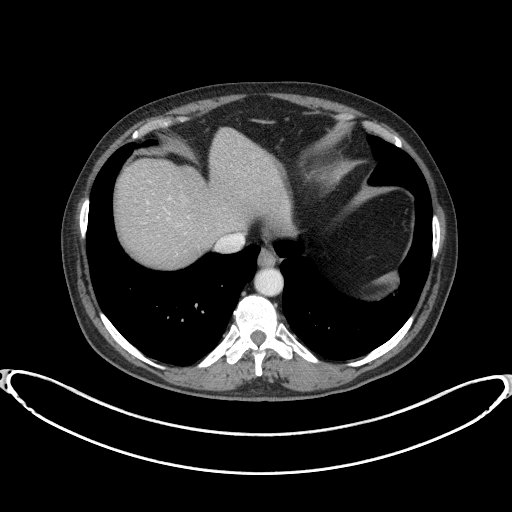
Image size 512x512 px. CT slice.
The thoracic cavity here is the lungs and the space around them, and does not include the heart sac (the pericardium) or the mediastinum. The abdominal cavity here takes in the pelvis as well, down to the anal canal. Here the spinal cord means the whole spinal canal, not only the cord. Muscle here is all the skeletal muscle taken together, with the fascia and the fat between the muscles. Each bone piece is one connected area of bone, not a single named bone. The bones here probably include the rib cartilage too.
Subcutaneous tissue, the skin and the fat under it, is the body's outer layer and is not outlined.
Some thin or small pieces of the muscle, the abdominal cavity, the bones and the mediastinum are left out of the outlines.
The abdominal cavity is outlined by (366, 302) (397, 291) (415, 212) (405, 188) (368, 183) (375, 162) (345, 154) (356, 124) (252, 96) (149, 132) (139, 141) (157, 142) (122, 165) (112, 194) (114, 227) (139, 264) (181, 269) (208, 252) (238, 251) (259, 231) (271, 245) (302, 240) (302, 255) (338, 291). The thoracic cavity appears in 2 outlined pieces: piece 1: (181, 366) (197, 362) (221, 339) (243, 286) (254, 274) (259, 246) (250, 244) (228, 255) (208, 253) (173, 272) (150, 270) (134, 262) (115, 235) (112, 188) (131, 152) (156, 141) (133, 141) (108, 158) (91, 190) (86, 235) (90, 277) (101, 309) (132, 344) (152, 359); piece 2: (338, 361) (364, 355) (402, 325) (429, 268) (427, 185) (407, 153) (376, 135) (367, 136) (378, 162) (369, 183) (400, 185) (415, 198) (414, 237) (399, 268) (398, 291) (378, 302) (355, 300) (301, 255) (302, 241) (273, 243) (283, 258) (282, 312) (293, 332) (318, 356). The bones appear in 7 outlined pieces: piece 1: (256, 376) (262, 374) (261, 363) (268, 349) (285, 359) (292, 358) (295, 352) (308, 361) (322, 362) (279, 320) (279, 313) (268, 299) (250, 294) (239, 300) (233, 311) (233, 320) (222, 339) (195, 367) (206, 367) (223, 355) (229, 364) (233, 364) (249, 350) (254, 357), around a hole outlined by (256, 344) (260, 344) (264, 340) (264, 339) (265, 338) (265, 335) (264, 334) (264, 333) (263, 333) (261, 331) (259, 331) (258, 330) (257, 330) (256, 331) (255, 331) (254, 332) (253, 332) (251, 334) (251, 338) (252, 339) (252, 340); piece 2: (348, 366) (359, 366) (360, 365) (362, 365) (377, 358) (391, 349) (397, 344) (397, 343) (407, 332) (411, 326) (411, 324) (415, 317) (415, 314) (414, 313) (412, 313) (403, 325) (387, 341) (378, 347) (375, 348) (364, 356) (354, 361) (350, 361) (346, 363) (346, 365); piece 3: (160, 369) (165, 369) (166, 367) (164, 365) (159, 364) (153, 361) (150, 358) (145, 356) (137, 348) (132, 345) (116, 329) (101, 310) (99, 311) (99, 315) (101, 318) (101, 320) (103, 322) (107, 330) (116, 342) (135, 357) (154, 367) (156, 367); piece 4: (132, 140) (136, 140) (139, 138) (141, 138) (147, 134) (149, 131) (153, 129) (166, 128) (174, 123) (184, 121) (186, 120) (187, 118) (184, 116) (177, 116) (174, 118) (172, 117) (160, 117) (154, 119) (151, 121) (147, 122) (139, 128) (136, 129) (131, 134) (131, 139); piece 5: (400, 148) (402, 147) (402, 142) (401, 140) (395, 134) (393, 134) (389, 132) (387, 130) (383, 128) (380, 125) (376, 123) (374, 123) (368, 120) (362, 120) (361, 124) (364, 128) (365, 128) (369, 131) (373, 132) (375, 134) (391, 142) (393, 144) (394, 144) (396, 146); piece 6: (433, 259) (434, 258) (435, 258) (435, 257) (437, 254) (437, 252) (438, 251) (438, 249) (439, 248) (439, 240) (440, 239) (440, 224) (439, 223) (439, 220) (438, 219) (438, 217) (435, 213) (433, 213) (433, 214) (432, 215) (432, 255) (431, 256) (431, 258) (432, 258); piece 7: (83, 240) (85, 239) (85, 235) (86, 234) (86, 230) (87, 229) (87, 214) (88, 213) (88, 210) (89, 209) (89, 195) (86, 195) (84, 197) (84, 199) (81, 206) (81, 209) (80, 210) (80, 214) (79, 215) (79, 227) (80, 228) (80, 234) (81, 235) (81, 238). The muscle is outlined by (212, 391) (222, 391) (223, 390) (234, 389) (245, 383) (249, 383) (258, 377) (271, 383) (278, 383) (286, 388) (297, 391) (311, 391) (312, 390) (319, 390) (338, 386) (349, 382) (361, 373) (380, 365) (397, 354) (412, 340) (420, 330) (432, 309) (440, 284) (441, 269) (444, 256) (443, 250) (446, 237) (445, 215) (438, 202) (436, 189) (430, 172) (414, 149) (394, 129) (385, 123) (379, 122) (375, 119) (372, 119) (367, 114) (355, 108) (335, 101) (319, 98) (314, 96) (306, 96) (294, 93) (282, 93) (281, 92) (259, 92) (258, 93) (250, 93) (249, 94) (247, 93) (229, 94) (228, 95) (223, 95) (213, 98) (207, 98) (190, 102) (177, 107) (174, 107) (167, 111) (165, 111) (163, 113) (145, 118) (135, 123) (122, 133) (95, 162) (92, 170) (87, 178) (85, 188) (82, 191) (82, 195) (76, 204) (76, 208) (74, 214) (74, 222) (73, 223) (73, 232) (75, 240) (74, 244) (75, 245) (75, 255) (76, 256) (77, 289) (86, 313) (95, 327) (108, 343) (122, 356) (134, 365) (139, 366) (149, 371) (169, 383) (179, 386) (189, 387) (194, 389) (211, 390) with a hole at (256, 376) (262, 374) (268, 349) (285, 359) (295, 352) (314, 363) (322, 362) (319, 356) (356, 358) (348, 366) (362, 365) (391, 349) (411, 326) (440, 239) (425, 180) (395, 134) (368, 120) (354, 124) (350, 113) (315, 113) (266, 96) (231, 102) (192, 119) (160, 117) (142, 125) (131, 134) (133, 141) (102, 166) (79, 215) (99, 315) (116, 342) (160, 369) (166, 367) (153, 359) (181, 366) (195, 363) (200, 368) (223, 355) (233, 364) (249, 350). The spinal cord is outlined by (256, 344) (260, 344) (264, 340) (264, 339) (265, 338) (265, 335) (264, 334) (264, 333) (263, 333) (261, 331) (259, 331) (258, 330) (257, 330) (256, 331) (255, 331) (254, 332) (253, 332) (251, 334) (251, 338) (252, 339) (252, 340). The torso is outlined by (239, 401) (309, 399) (354, 389) (413, 360) (438, 323) (458, 259) (452, 198) (436, 162) (413, 127) (365, 96) (328, 84) (297, 80) (214, 83) (166, 95) (128, 112) (103, 134) (69, 194) (60, 230) (62, 267) (76, 319) (90, 346) (118, 369) (150, 384) (188, 395). The mediastinum appears in 2 outlined pieces: piece 1: (292, 332) (281, 312) (284, 280) (279, 266) (282, 258) (275, 253) (272, 246) (266, 242) (258, 232) (256, 237) (250, 241) (250, 243) (257, 243) (260, 246) (256, 271) (252, 279) (244, 286) (240, 298) (250, 293) (257, 293) (268, 298) (280, 313) (280, 320) (282, 320); piece 2: (376, 164) (377, 162) (375, 161) (372, 157) (369, 144) (366, 140) (366, 136) (368, 134) (374, 134) (367, 131) (357, 124) (354, 130) (354, 137) (352, 141) (348, 144) (345, 150) (346, 151) (345, 152) (347, 155) (349, 155) (352, 157) (367, 157) (369, 159) (375, 161).